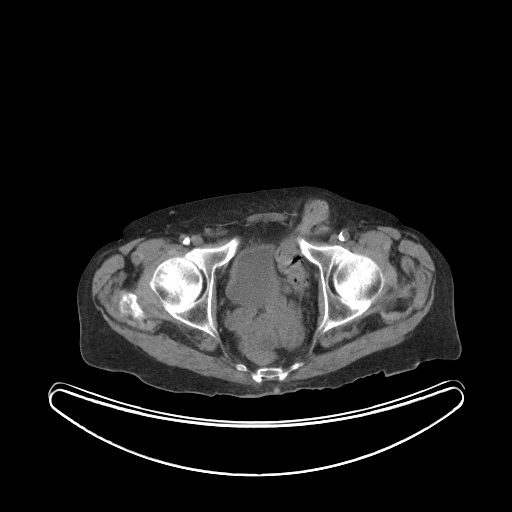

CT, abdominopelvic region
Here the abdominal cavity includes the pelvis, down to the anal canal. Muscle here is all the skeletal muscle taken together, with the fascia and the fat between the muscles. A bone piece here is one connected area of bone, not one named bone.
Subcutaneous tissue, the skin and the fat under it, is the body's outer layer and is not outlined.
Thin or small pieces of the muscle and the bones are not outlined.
{"torso":[[[300,185],[321,187],[383,209],[436,246],[453,277],[455,320],[462,347],[459,358],[425,361],[415,369],[390,376],[381,371],[336,388],[253,398],[171,392],[148,385],[130,373],[97,368],[82,359],[78,281],[93,254],[118,239],[127,224],[175,204]]],"muscle":[[[377,226],[413,235],[428,252],[435,266],[430,309],[396,345],[326,374],[281,381],[304,364],[301,360],[292,363],[309,351],[315,332],[325,333],[359,317],[380,295],[386,281],[380,266],[368,255],[340,244],[316,244],[304,238],[319,227],[344,242]],{"outer":[[158,234],[173,235],[185,246],[197,247],[164,259],[153,270],[148,286],[164,310],[213,338],[218,333],[228,351],[242,362],[234,365],[236,370],[256,368],[250,371],[255,382],[277,380],[254,386],[166,365],[109,326],[91,297],[99,258],[136,238]],"hole":[[128,291],[133,292],[135,294],[136,294],[137,296],[137,301],[140,305],[141,308],[143,310],[145,314],[145,318],[142,321],[138,321],[134,319],[130,315],[127,315],[126,314],[124,314],[122,313],[119,309],[119,306],[118,305],[119,300],[122,294]]},[[263,212],[280,212],[294,215],[299,218],[294,225],[284,225],[277,221],[269,221],[266,223],[260,221],[249,226],[232,225],[228,228],[229,233],[233,236],[226,242],[216,246],[198,246],[202,246],[211,242],[222,227],[242,221],[249,215]],[[224,265],[225,265],[225,269],[224,271],[216,280],[216,305],[217,306],[217,308],[216,309],[216,321],[217,322],[217,327],[215,325],[213,321],[213,318],[212,317],[212,294],[213,293],[213,286],[214,285],[214,282],[215,281],[215,272],[218,268]]],"abdominal_cavity":[[[310,198],[323,200],[327,212],[320,225],[296,239],[301,254],[314,265],[317,281],[317,326],[308,351],[289,365],[247,365],[229,351],[217,328],[217,280],[241,243],[241,238],[230,233],[229,228],[249,227],[260,222],[292,227],[302,216],[305,202]]],"bones":[[[235,236],[240,238],[240,243],[234,255],[226,264],[218,267],[214,272],[211,294],[211,317],[218,332],[217,336],[213,337],[205,331],[189,326],[169,314],[163,307],[158,296],[150,288],[149,281],[156,267],[164,260],[182,256],[193,248],[220,246]],[[298,238],[303,238],[310,243],[316,245],[340,245],[354,253],[359,253],[368,256],[376,262],[381,269],[385,278],[384,285],[379,295],[363,313],[352,320],[335,326],[325,332],[316,331],[324,315],[324,298],[320,272],[318,267],[302,254],[297,242]],[[301,361],[303,363],[301,366],[292,370],[283,380],[280,381],[276,377],[272,379],[267,379],[265,377],[263,377],[261,382],[257,382],[251,376],[251,371],[254,371],[257,368],[260,368],[261,367],[282,367],[283,368],[286,368],[296,362],[300,362]],[[128,291],[133,292],[135,294],[136,294],[137,296],[137,301],[140,305],[141,308],[143,310],[145,314],[145,318],[142,321],[138,321],[134,319],[130,315],[127,315],[126,314],[124,314],[122,313],[119,309],[119,306],[118,305],[119,300],[122,294]]]}